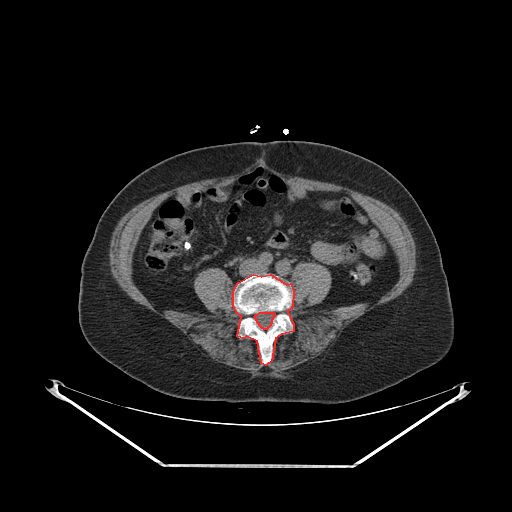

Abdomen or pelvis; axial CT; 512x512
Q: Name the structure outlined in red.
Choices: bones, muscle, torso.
A: red: bones.
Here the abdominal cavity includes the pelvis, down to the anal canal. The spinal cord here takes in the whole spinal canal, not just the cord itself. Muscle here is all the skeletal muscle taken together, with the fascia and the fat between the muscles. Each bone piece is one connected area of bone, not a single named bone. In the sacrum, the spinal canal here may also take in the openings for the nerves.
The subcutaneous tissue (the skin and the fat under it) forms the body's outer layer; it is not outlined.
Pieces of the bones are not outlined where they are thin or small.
Outlined structures:
bones: (253, 274) (261, 276) (270, 274) (286, 284) (290, 283) (293, 291) (292, 307) (287, 311) (293, 324) (293, 331) (281, 334) (275, 338) (271, 361) (265, 365) (261, 363) (257, 341) (246, 336) (243, 338) (237, 336) (241, 316) (236, 312) (233, 305) (233, 291) (238, 282); inner edge: (260, 312) (272, 312) (273, 313) (274, 313) (274, 315) (273, 316) (273, 317) (271, 320) (271, 323) (270, 324) (270, 325) (266, 329) (264, 329) (263, 328) (262, 328) (259, 325) (259, 324) (257, 322) (257, 321) (256, 320) (256, 319) (254, 316) (256, 314) (257, 314)
torso: (275, 140) (319, 142) (351, 151) (384, 167) (411, 193) (436, 238) (449, 287) (455, 335) (445, 357) (378, 392) (352, 401) (332, 404) (178, 398) (148, 387) (107, 362) (91, 348) (81, 332) (78, 297) (83, 257) (95, 226) (113, 197) (138, 173) (171, 155) (203, 146)
spinal cord: (260, 312) (272, 312) (273, 313) (274, 313) (274, 315) (273, 316) (273, 317) (271, 320) (271, 323) (270, 324) (270, 325) (266, 329) (264, 329) (263, 328) (262, 328) (259, 325) (259, 324) (257, 322) (257, 321) (256, 320) (256, 319) (254, 316) (256, 314) (257, 314)
muscle: (256, 162) (259, 162) (260, 163) (263, 162) (268, 166) (286, 174) (290, 174) (294, 176) (295, 175) (296, 176) (299, 176) (308, 179) (331, 182) (338, 185) (346, 186) (356, 191) (358, 191) (366, 195) (369, 195) (376, 199) (378, 199) (384, 202) (386, 204) (394, 208) (403, 218) (411, 232) (416, 247) (416, 269) (414, 272) (413, 280) (411, 284) (400, 295) (394, 299) (392, 299) (386, 303) (377, 306) (372, 310) (355, 319) (341, 332) (339, 336) (333, 343) (332, 343) (317, 359) (293, 372) (275, 372) (267, 366) (265, 366) (261, 369) (257, 369) (254, 371) (246, 371) (242, 369) (235, 368) (214, 361) (211, 358) (208, 357) (200, 351) (194, 345) (192, 341) (186, 337) (186, 336) (178, 328) (174, 326) (167, 320) (147, 309) (143, 305) (134, 301) (129, 297) (121, 289) (113, 278) (110, 270) (110, 266) (109, 265) (109, 244) (110, 243) (110, 239) (111, 238) (112, 232) (121, 217) (132, 207) (151, 196) (164, 192) (174, 187) (186, 183) (189, 183) (193, 181) (197, 181) (201, 179) (211, 178) (212, 177) (218, 177) (219, 176) (227, 176) (239, 172) (244, 168), around a hole outlined by (256, 166) (290, 185) (351, 196) (398, 265) (397, 280) (374, 301) (314, 308) (331, 272) (298, 263) (287, 311) (294, 328) (275, 338) (265, 365) (257, 341) (237, 336) (233, 282) (220, 267) (193, 280) (211, 314) (154, 303) (132, 277) (140, 234) (165, 199) (229, 185)
abdominal cavity: (256, 166) (290, 185) (351, 196) (390, 245) (395, 283) (374, 301) (314, 308) (332, 286) (320, 263) (298, 263) (291, 283) (253, 273) (234, 287) (223, 269) (208, 267) (197, 273) (193, 289) (211, 314) (149, 300) (133, 280) (132, 265) (154, 210) (170, 196) (229, 185)